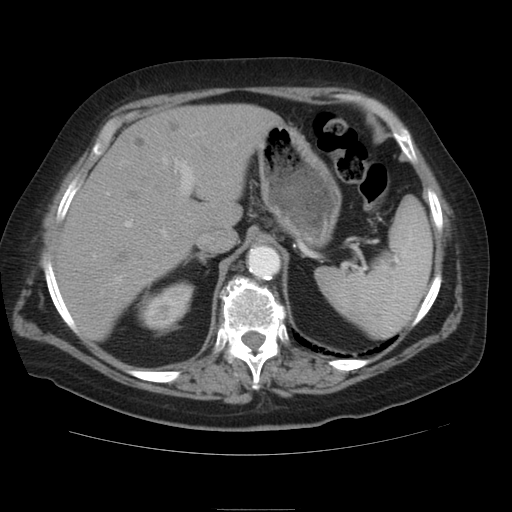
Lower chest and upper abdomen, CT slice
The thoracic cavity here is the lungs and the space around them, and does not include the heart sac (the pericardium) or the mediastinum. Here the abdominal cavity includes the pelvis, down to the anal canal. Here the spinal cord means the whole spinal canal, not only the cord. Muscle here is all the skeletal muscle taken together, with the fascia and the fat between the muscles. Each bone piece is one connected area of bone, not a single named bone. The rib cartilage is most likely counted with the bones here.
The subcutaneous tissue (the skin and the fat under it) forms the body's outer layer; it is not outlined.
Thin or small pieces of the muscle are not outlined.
The torso is outlined by [[257,56],[315,57],[360,64],[393,80],[421,107],[471,184],[485,220],[490,257],[487,333],[477,367],[456,382],[371,415],[339,418],[313,427],[260,431],[157,423],[30,375],[6,313],[0,239],[15,203],[65,121],[92,92],[132,70],[173,60]]. The thoracic cavity appears in 2 outlined pieces: piece 1: [[291,329],[296,332],[300,336],[307,340],[310,343],[320,348],[323,348],[323,349],[326,351],[329,351],[338,354],[350,355],[352,357],[349,358],[336,358],[331,355],[325,354],[320,351],[315,351],[309,347],[300,344],[293,337],[292,333],[290,331]]; piece 2: [[395,336],[397,336],[396,339],[384,349],[378,352],[376,352],[373,354],[371,354],[370,355],[367,355],[364,357],[358,357],[358,356],[360,354],[365,354],[366,352],[367,352],[369,350],[371,350],[379,346],[382,343],[385,342],[387,340]]. The spinal cord is outlined by [[249,331],[255,331],[256,332],[257,332],[260,334],[262,334],[264,336],[264,340],[263,341],[263,342],[256,349],[256,350],[255,351],[254,351],[250,347],[249,347],[246,344],[245,344],[243,342],[243,341],[242,340],[242,336],[245,333],[246,333]]. The bones appear in 9 outlined pieces: piece 1: [[234,275],[243,275],[262,286],[267,286],[285,308],[284,322],[289,341],[284,343],[279,340],[279,354],[268,358],[263,363],[259,374],[260,387],[258,389],[252,388],[251,370],[242,359],[234,358],[229,363],[222,351],[213,352],[221,321],[220,293]]; inner edge: [[249,331],[255,331],[256,332],[257,332],[260,334],[262,334],[264,336],[264,340],[263,341],[263,342],[256,349],[256,350],[255,351],[254,351],[250,347],[249,347],[246,344],[245,344],[243,342],[243,341],[242,340],[242,336],[245,333],[246,333]]; piece 2: [[328,93],[347,93],[360,95],[363,97],[375,99],[383,104],[393,114],[401,125],[408,130],[410,134],[411,142],[417,157],[417,161],[413,164],[409,161],[393,137],[390,128],[378,115],[364,109],[363,107],[355,102],[329,97],[326,94]]; piece 3: [[44,253],[47,255],[47,257],[52,263],[52,267],[53,268],[55,279],[61,297],[69,314],[71,316],[75,324],[75,326],[79,334],[75,333],[67,325],[57,311],[52,301],[52,299],[48,291],[48,288],[44,275],[44,270],[42,265],[42,259]]; piece 4: [[130,112],[134,112],[127,118],[124,118],[122,120],[121,124],[115,130],[114,133],[110,138],[109,143],[103,153],[99,157],[93,157],[91,158],[90,156],[91,155],[92,146],[96,141],[102,128],[106,122],[115,116],[118,116],[122,118],[124,115]]; piece 5: [[130,369],[145,369],[146,370],[152,370],[153,371],[163,371],[164,370],[176,370],[177,371],[180,371],[180,374],[177,378],[169,382],[155,382],[154,381],[144,380],[143,379],[138,378],[135,376],[133,376],[127,373],[125,371],[126,370],[129,370]]; piece 6: [[438,272],[441,273],[441,278],[442,279],[441,280],[441,284],[437,296],[433,302],[431,307],[422,319],[414,326],[411,326],[411,323],[416,316],[422,304],[422,302],[424,300],[424,298],[426,296],[430,288],[432,280],[434,276]]; piece 7: [[78,174],[80,178],[83,181],[83,182],[81,184],[80,187],[74,194],[69,204],[69,206],[67,209],[67,211],[63,219],[61,221],[58,221],[56,218],[56,215],[57,214],[57,209],[58,208],[59,203],[68,185],[75,177],[75,176]]; piece 8: [[428,188],[430,188],[434,191],[438,198],[438,200],[441,207],[442,218],[443,219],[443,224],[442,225],[442,229],[441,231],[439,231],[436,229],[434,225],[434,222],[432,219],[431,210],[430,209],[430,206],[428,201],[428,197],[427,196],[427,189]]; piece 9: [[350,358],[364,358],[365,359],[368,359],[370,360],[370,362],[369,363],[359,368],[356,368],[355,369],[352,369],[351,370],[340,370],[339,369],[337,369],[333,367],[328,363],[328,361],[332,359],[349,359]]. The muscle appears in 2 outlined pieces: piece 1: [[245,86],[337,86],[375,98],[328,92],[325,94],[329,98],[357,104],[314,103],[234,90],[158,107],[121,127],[134,111],[108,119],[91,146],[89,157],[98,159],[84,181],[78,173],[74,176],[58,203],[55,218],[61,223],[53,244],[53,263],[44,252],[41,259],[47,291],[66,325],[125,364],[155,369],[183,363],[204,351],[214,329],[220,299],[220,321],[212,352],[222,352],[229,364],[234,359],[242,360],[250,370],[254,390],[261,387],[264,363],[280,354],[279,341],[290,341],[286,318],[292,337],[302,346],[335,358],[327,361],[333,368],[351,371],[369,364],[371,360],[365,357],[384,350],[408,326],[414,327],[423,319],[436,300],[443,279],[440,271],[434,275],[436,230],[441,232],[444,224],[442,207],[434,190],[428,187],[426,195],[424,191],[413,165],[418,157],[411,134],[456,221],[463,305],[456,329],[405,361],[340,390],[291,397],[264,390],[254,392],[252,399],[242,404],[132,387],[51,344],[18,335],[13,327],[13,311],[37,260],[43,215],[104,118],[123,104],[153,95]] with a hole at [[130,369],[145,369],[146,370],[152,370],[153,371],[163,371],[164,370],[176,370],[177,371],[180,371],[180,374],[177,378],[169,382],[155,382],[154,381],[144,380],[143,379],[138,378],[135,376],[133,376],[127,373],[125,371],[126,370],[129,370]]; piece 2: [[385,105],[386,105],[390,109],[391,109],[396,114],[396,115],[401,120],[401,121],[406,126],[406,127],[407,128],[406,128],[403,125],[402,125],[402,124],[398,120],[398,119],[394,115],[394,114]]. The mediastinum appears in 2 outlined pieces: piece 1: [[254,242],[271,244],[272,246],[277,248],[279,253],[281,254],[282,297],[284,300],[283,304],[267,285],[265,284],[262,285],[254,279],[243,274],[234,274],[226,282],[224,286],[224,279],[230,270],[230,266],[238,259],[244,250],[253,244]]; piece 2: [[367,111],[371,112],[373,114],[375,114],[377,116],[378,116],[389,128],[391,132],[391,135],[388,135],[387,133],[388,132],[387,130],[385,128],[382,127],[382,126],[380,125],[379,123],[378,123],[373,118],[372,118],[369,115],[368,115]]. The abdominal cavity is outlined by [[234,91],[360,106],[412,164],[435,228],[435,261],[429,288],[399,335],[357,357],[310,342],[286,317],[282,254],[261,241],[250,244],[229,266],[209,341],[193,357],[139,367],[106,353],[79,332],[56,279],[54,244],[90,170],[126,124],[158,108]].